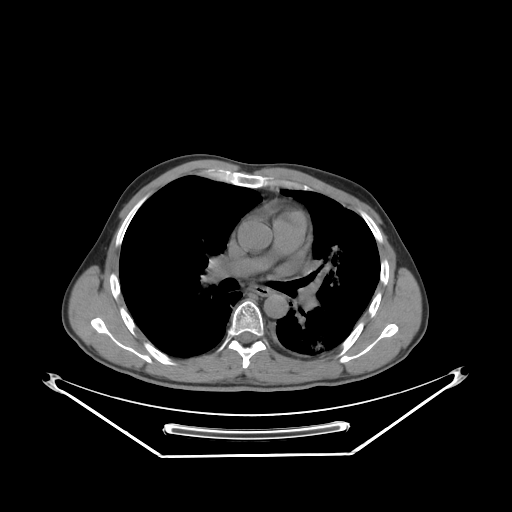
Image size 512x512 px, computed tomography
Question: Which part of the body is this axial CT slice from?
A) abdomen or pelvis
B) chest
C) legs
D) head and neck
Answer: B) chest
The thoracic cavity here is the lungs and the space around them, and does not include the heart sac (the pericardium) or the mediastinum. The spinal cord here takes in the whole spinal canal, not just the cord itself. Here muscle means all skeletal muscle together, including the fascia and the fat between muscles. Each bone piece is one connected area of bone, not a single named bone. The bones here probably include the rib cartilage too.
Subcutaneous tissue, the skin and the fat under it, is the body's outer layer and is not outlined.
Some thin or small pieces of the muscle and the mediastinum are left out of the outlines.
Outlines:
muscle: 200 159; 213 159; 227 162; 238 166; 243 171; 247 173; 251 173; 255 170; 258 170; 262 168; 270 168; 271 167; 282 167; 283 168; 294 169; 311 175; 334 187; 345 191; 369 205; 379 215; 382 220; 381 228; 386 235; 389 243; 395 252; 396 267; 397 268; 399 267; 407 268; 412 273; 419 286; 422 300; 422 316; 421 317; 420 326; 411 341; 404 348; 402 348; 393 359; 370 371; 355 375; 346 375; 335 378; 319 379; 300 383; 268 384; 267 385; 251 381; 246 377; 240 377; 237 379; 231 379; 230 380; 226 380; 223 382; 213 382; 212 383; 208 383; 207 382; 185 382; 184 381; 176 381; 171 379; 161 379; 154 377; 152 375; 143 371; 132 369; 116 364; 101 356; 99 356; 96 353; 94 353; 73 330; 70 325; 68 318; 69 297; 71 293; 71 290; 76 280; 91 265; 98 265; 102 270; 103 269; 111 239; 119 225; 120 221; 119 213; 130 199; 142 187; 173 167; 185 162; 193 160; 199 160 with a hole at 213 167; 305 184; 357 214; 358 209; 366 212; 382 235; 383 241; 376 245; 379 259; 387 259; 389 276; 386 285; 379 281; 376 286; 381 299; 374 316; 366 309; 363 312; 359 318; 363 329; 345 353; 363 350; 389 323; 396 324; 397 331; 346 362; 339 361; 340 346; 326 357; 304 360; 280 351; 269 339; 266 349; 252 355; 246 368; 238 352; 226 346; 218 352; 214 348; 173 357; 177 365; 154 358; 149 363; 98 332; 90 322; 99 317; 118 341; 148 353; 143 345; 148 339; 138 327; 132 334; 121 317; 119 308; 127 308; 123 296; 116 300; 110 288; 110 274; 119 275; 118 229; 146 194; 151 196; 177 178
bones 1: 245 300; 253 302; 259 308; 264 324; 265 335; 269 345; 266 349; 260 350; 252 355; 249 359; 249 364; 246 368; 242 366; 242 357; 237 351; 228 348; 226 346; 222 350; 218 352; 216 351; 225 338; 226 330; 230 325; 233 310; inner edge: 243 332; 250 332; 251 333; 252 333; 255 336; 255 340; 254 341; 253 341; 251 343; 250 343; 249 344; 242 344; 238 340; 238 339; 237 338; 237 337; 241 333; 242 333
bones 2: 213 167; 226 169; 232 172; 242 172; 252 175; 271 176; 275 179; 293 181; 301 184; 305 184; 317 191; 289 189; 280 186; 276 186; 272 188; 269 187; 251 188; 245 186; 235 185; 231 183; 214 180; 195 174; 200 170
bones 3: 96 317; 101 318; 112 335; 124 345; 131 347; 142 354; 147 354; 148 353; 143 343; 149 341; 157 349; 176 361; 177 365; 164 364; 154 358; 152 359; 152 362; 149 363; 131 351; 122 348; 107 334; 98 332; 91 325; 91 320
bones 4: 360 319; 364 321; 363 329; 357 339; 346 351; 345 353; 347 355; 354 355; 363 350; 380 334; 387 324; 394 323; 397 325; 398 329; 393 335; 381 338; 369 350; 360 356; 346 362; 340 362; 340 358; 338 356; 341 350; 340 345
bones 5: 148 193; 149 193; 150 195; 138 208; 138 209; 134 214; 133 217; 131 219; 124 233; 120 247; 116 247; 115 245; 115 242; 116 241; 116 236; 117 235; 117 232; 123 220; 125 218; 129 211; 133 207; 133 206; 141 198; 142 198
bones 6: 358 209; 361 209; 363 210; 365 212; 366 212; 373 219; 373 220; 379 228; 380 230; 380 232; 382 235; 382 238; 383 239; 383 241; 381 243; 379 243; 376 241; 370 228; 368 226; 368 225; 366 223; 364 219; 358 213
bones 7: 121 306; 123 306; 127 310; 127 311; 131 316; 134 323; 137 327; 137 328; 135 330; 135 332; 136 333; 135 335; 131 333; 131 332; 128 329; 128 328; 124 323; 121 317; 121 315; 120 314; 120 311; 119 310; 119 308
bones 8: 113 272; 115 273; 118 276; 118 280; 119 281; 119 285; 120 286; 120 291; 121 292; 121 296; 120 296; 118 298; 118 300; 116 300; 114 298; 111 292; 111 289; 110 288; 110 283; 109 282; 109 277; 110 276; 110 274
bones 9: 375 291; 380 291; 381 292; 381 299; 380 300; 380 303; 379 304; 379 306; 378 307; 378 308; 377 309; 374 316; 373 317; 371 317; 367 312; 367 308; 368 307; 368 306; 369 305; 369 304; 370 303; 370 302; 375 293
bones 10: 383 258; 385 258; 386 259; 387 259; 387 261; 388 262; 388 265; 389 266; 389 276; 388 277; 388 280; 387 281; 387 283; 386 284; 386 285; 383 285; 380 282; 380 270; 381 269; 381 259; 382 259
thoracic cavity 1: 187 175; 196 175; 253 189; 259 194; 261 201; 240 218; 222 251; 228 275; 236 281; 237 291; 241 294; 232 308; 223 340; 216 348; 205 353; 181 358; 171 357; 157 348; 135 323; 121 291; 119 256; 125 233; 139 208; 166 184
thoracic cavity 2: 282 189; 318 192; 355 212; 369 228; 378 250; 379 281; 366 309; 339 346; 320 359; 304 360; 287 355; 266 335; 265 328; 273 320; 287 315; 290 310; 288 288; 291 283; 304 277; 312 259; 314 234; 310 214; 301 202; 284 195
mediastinum 1: 231 233; 227 257; 235 271; 244 277; 292 276; 306 265; 311 254; 309 267; 303 277; 291 282; 287 288; 289 310; 286 315; 273 319; 265 327; 261 310; 253 301; 245 299; 233 309; 242 294; 238 291; 237 281; 229 275; 223 254
mediastinum 2: 276 187; 280 187; 281 188; 283 188; 280 190; 280 192; 284 196; 289 196; 276 196; 275 197; 272 197; 271 198; 266 199; 262 202; 261 202; 262 201; 262 197; 260 194; 254 189; 257 189; 258 188; 269 188; 270 189; 272 189
mediastinum 3: 255 206; 256 206; 249 213; 248 213; 239 222; 239 223; 238 223; 239 222; 239 221; 241 219; 241 218; 245 214; 246 214; 250 210; 251 210
pericardium: 276 197; 291 197; 308 212; 312 225; 311 253; 305 265; 292 275; 288 275; 283 277; 250 277; 249 276; 241 275; 236 271; 236 269; 232 264; 230 258; 228 257; 228 244; 232 233; 238 224; 260 203; 262 203; 266 200
torso: 192 153; 216 154; 247 163; 302 164; 341 175; 365 187; 395 226; 414 260; 427 293; 428 325; 410 353; 392 367; 362 380; 269 392; 166 387; 118 372; 86 354; 66 333; 61 321; 62 297; 72 275; 96 241; 128 184; 159 162
spinal cord: 243 332; 250 332; 251 333; 252 333; 255 336; 255 340; 254 341; 253 341; 251 343; 250 343; 249 344; 242 344; 238 340; 238 339; 237 338; 237 337; 241 333; 242 333